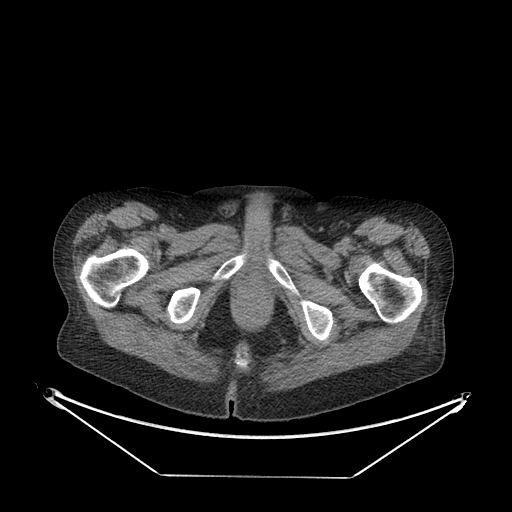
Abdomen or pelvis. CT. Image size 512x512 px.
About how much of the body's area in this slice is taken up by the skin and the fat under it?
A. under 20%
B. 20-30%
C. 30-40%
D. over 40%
D. over 40%
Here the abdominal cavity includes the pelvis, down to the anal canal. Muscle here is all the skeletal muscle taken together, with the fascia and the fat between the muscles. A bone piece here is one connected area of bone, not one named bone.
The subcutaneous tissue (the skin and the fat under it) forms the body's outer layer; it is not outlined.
The torso is outlined by 234 184; 293 186; 318 199; 340 194; 401 198; 433 210; 448 229; 454 254; 441 368; 432 376; 353 406; 288 421; 256 422; 169 409; 62 359; 56 338; 67 303; 53 271; 52 246; 72 205; 104 189; 151 186; 187 194. The bones appear in 7 outlined pieces: piece 1: 124 247; 132 248; 145 256; 148 261; 149 268; 146 274; 141 279; 126 286; 121 291; 121 295; 119 300; 114 307; 106 308; 94 302; 87 294; 87 292; 85 290; 79 277; 82 264; 87 257; 90 255; 94 254; 97 256; 103 256; piece 2: 373 262; 377 262; 383 267; 400 275; 403 276; 413 276; 419 281; 421 285; 422 296; 421 297; 421 301; 420 303; 417 306; 415 310; 402 321; 396 323; 387 323; 383 321; 378 315; 374 306; 362 293; 358 286; 358 277; 360 274; piece 3: 189 286; 194 286; 200 290; 200 294; 199 295; 195 309; 193 312; 193 314; 187 321; 183 323; 174 323; 170 320; 167 310; 166 309; 168 302; 170 299; 170 297; 172 293; 175 290; 177 289; 180 289; 181 288; 185 288; piece 4: 301 299; 309 300; 315 303; 317 303; 320 305; 325 306; 331 311; 333 316; 333 323; 332 324; 329 335; 327 338; 323 340; 319 340; 314 337; 311 334; 307 327; 306 321; 304 317; 304 313; 303 312; 302 307; 300 304; 300 300; piece 5: 269 258; 272 258; 273 259; 275 259; 277 260; 284 266; 285 269; 289 274; 294 285; 300 293; 300 296; 298 296; 292 293; 287 288; 285 288; 274 277; 274 276; 271 273; 271 272; 268 269; 267 267; 267 262; piece 6: 242 253; 245 253; 245 262; 240 267; 240 268; 238 270; 237 270; 228 279; 223 279; 222 280; 216 280; 215 281; 213 281; 212 280; 212 276; 214 274; 214 273; 226 260; 227 260; 231 257; 233 257; 236 255; 238 255; piece 7: 237 352; 239 352; 241 354; 245 354; 246 353; 246 355; 245 356; 245 357; 247 359; 247 360; 248 361; 248 364; 247 365; 247 368; 246 369; 245 369; 244 370; 243 370; 242 369; 241 369; 235 363; 235 359; 236 358; 236 353. The abdominal cavity is outlined by 253 269; 263 272; 271 279; 273 288; 273 294; 272 295; 273 305; 272 304; 271 305; 271 309; 269 312; 269 315; 267 316; 266 319; 259 327; 257 327; 255 329; 248 329; 239 321; 235 313; 234 309; 234 286; 233 283; 242 273. The muscle is outlined by 128 200; 144 203; 188 230; 214 222; 229 224; 237 229; 242 243; 261 248; 272 245; 275 229; 281 225; 334 231; 353 229; 375 215; 408 219; 424 236; 430 250; 426 282; 429 302; 422 314; 418 337; 407 350; 386 361; 358 366; 279 392; 263 392; 264 386; 255 375; 237 376; 229 371; 218 383; 200 385; 117 350; 102 341; 87 317; 72 272; 72 241; 80 225; 92 213; 101 207 with holes at 227 289; 230 316; 243 334; 261 332; 272 321; 276 298; 278 298; 298 330; 297 346; 268 356; 257 366; 250 345; 244 338; 232 348; 228 358; 221 355; 221 349; 212 347; 207 349; 200 344; 200 330; 205 326; 206 319; 219 296 and at 124 247; 132 248; 145 256; 148 261; 149 268; 146 274; 141 279; 126 286; 121 291; 121 295; 119 300; 114 307; 106 308; 94 302; 87 294; 87 292; 85 290; 79 277; 82 264; 87 257; 90 255; 94 254; 97 256; 103 256 and at 373 262; 377 262; 383 267; 400 275; 403 276; 413 276; 419 281; 421 285; 422 296; 421 297; 421 301; 420 303; 417 306; 415 310; 402 321; 396 323; 387 323; 383 321; 378 315; 374 306; 362 293; 358 286; 358 277; 360 274 and at 253 269; 263 272; 271 279; 273 288; 273 294; 272 295; 273 305; 272 304; 271 305; 271 309; 269 312; 269 315; 267 316; 266 319; 259 327; 257 327; 255 329; 248 329; 239 321; 235 313; 234 309; 234 286; 233 283; 242 273 and at 189 286; 194 286; 200 290; 200 294; 199 295; 195 309; 193 312; 193 314; 187 321; 183 323; 174 323; 170 320; 167 310; 166 309; 168 302; 170 299; 170 297; 172 293; 175 290; 177 289; 180 289; 181 288; 185 288 and at 301 299; 309 300; 315 303; 317 303; 320 305; 325 306; 331 311; 333 316; 333 323; 332 324; 329 335; 327 338; 323 340; 319 340; 314 337; 311 334; 307 327; 306 321; 304 317; 304 313; 303 312; 302 307; 300 304; 300 300 and at 269 258; 272 258; 273 259; 275 259; 277 260; 284 266; 285 269; 289 274; 294 285; 300 293; 300 296; 298 296; 292 293; 287 288; 285 288; 274 277; 274 276; 271 273; 271 272; 268 269; 267 267; 267 262 and at 242 253; 245 253; 245 262; 240 267; 240 268; 238 270; 237 270; 228 279; 223 279; 222 280; 216 280; 215 281; 213 281; 212 280; 212 276; 214 274; 214 273; 226 260; 227 260; 231 257; 233 257; 236 255; 238 255 and at 237 352; 239 352; 241 354; 245 354; 246 353; 246 355; 245 356; 245 357; 247 359; 247 360; 248 361; 248 364; 247 365; 247 368; 246 369; 245 369; 244 370; 243 370; 242 369; 241 369; 235 363; 235 359; 236 358; 236 353.